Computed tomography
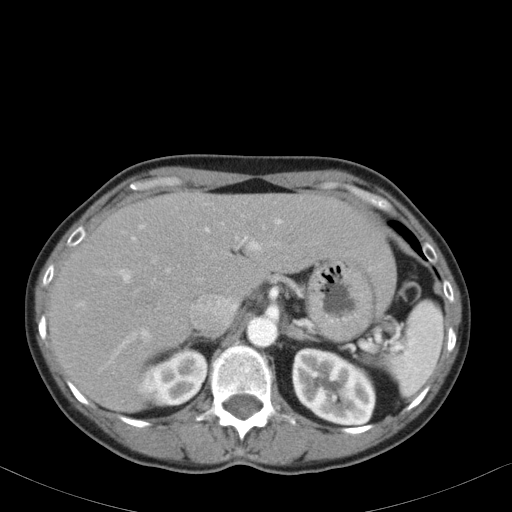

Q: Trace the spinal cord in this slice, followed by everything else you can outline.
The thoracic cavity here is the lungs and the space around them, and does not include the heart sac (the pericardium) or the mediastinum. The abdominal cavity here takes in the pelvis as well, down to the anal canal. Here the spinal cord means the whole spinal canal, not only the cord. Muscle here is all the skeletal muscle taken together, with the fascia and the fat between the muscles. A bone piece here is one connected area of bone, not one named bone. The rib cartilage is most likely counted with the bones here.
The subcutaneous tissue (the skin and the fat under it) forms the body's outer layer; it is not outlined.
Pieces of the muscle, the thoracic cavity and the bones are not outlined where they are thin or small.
A: {"spinal_cord":[[[238,394],[247,394],[248,395],[254,396],[260,402],[261,404],[260,408],[257,411],[254,412],[251,415],[250,415],[245,419],[241,419],[240,418],[238,418],[228,410],[227,410],[225,408],[225,406],[224,405],[224,403],[231,396],[233,395],[237,395]]],"bones":[{"outer":[[234,344],[247,345],[265,356],[274,376],[271,403],[278,412],[293,417],[295,424],[284,419],[277,421],[271,418],[262,427],[253,426],[241,440],[233,426],[220,425],[216,416],[212,420],[195,419],[198,414],[207,410],[213,401],[210,389],[212,363]],"hole":[[238,394],[247,394],[248,395],[254,396],[260,402],[261,404],[260,408],[257,411],[254,412],[251,415],[250,415],[245,419],[241,419],[240,418],[238,418],[228,410],[227,410],[225,408],[225,406],[224,405],[224,403],[231,396],[233,395],[237,395]]},[[324,182],[338,182],[342,184],[350,184],[351,185],[357,186],[373,194],[380,196],[386,199],[393,206],[394,213],[391,214],[381,209],[379,209],[370,203],[364,201],[362,199],[349,193],[342,188],[335,188],[334,189],[322,188],[320,187],[320,184]],[[164,176],[176,176],[180,178],[182,180],[182,184],[180,185],[170,185],[169,186],[164,186],[163,187],[156,187],[144,191],[133,191],[128,188],[129,184],[132,182],[135,182],[136,181],[139,181],[148,178],[163,177]],[[81,225],[82,226],[83,226],[85,228],[85,235],[84,236],[84,237],[78,243],[77,243],[75,245],[74,245],[73,246],[68,246],[66,244],[66,242],[67,241],[67,239],[69,237],[69,236],[70,235],[70,234],[77,227],[78,227]],[[426,241],[427,242],[428,242],[433,247],[433,248],[437,255],[437,260],[435,263],[432,263],[431,262],[430,262],[426,258],[426,257],[424,255],[424,254],[423,253],[423,251],[422,250],[422,247],[421,246],[421,243],[422,243],[423,242],[425,242]],[[427,385],[429,385],[429,389],[428,390],[428,391],[426,393],[426,394],[425,395],[425,396],[423,398],[423,399],[416,406],[415,406],[413,408],[412,408],[410,410],[408,410],[407,411],[405,411],[404,410],[404,408],[405,408],[420,393],[420,392]],[[67,379],[68,380],[69,380],[73,384],[73,385],[74,386],[75,386],[75,387],[88,400],[88,401],[89,402],[89,404],[88,405],[86,405],[85,404],[80,402],[74,396],[74,395],[72,393],[71,390],[69,388],[69,387],[66,382],[66,380]]],"thoracic_cavity":[[[392,219],[396,219],[397,220],[400,221],[403,224],[404,224],[416,236],[416,237],[420,242],[420,246],[421,247],[421,250],[422,251],[422,253],[426,259],[424,259],[424,258],[423,257],[422,257],[412,247],[412,246],[390,224],[390,220],[391,220]]],"abdominal_cavity":[[[251,179],[347,192],[394,218],[389,224],[439,274],[445,348],[427,384],[390,418],[340,427],[296,412],[266,356],[243,343],[213,360],[209,389],[191,405],[145,419],[98,407],[60,367],[46,308],[55,270],[72,247],[112,212],[151,195],[203,192]]],"torso":[[[187,153],[322,155],[355,161],[394,182],[439,231],[468,289],[470,340],[449,394],[417,432],[372,458],[320,472],[282,475],[234,465],[192,474],[125,459],[85,434],[60,410],[38,373],[25,337],[24,295],[31,266],[59,223],[113,175],[146,159]]],"muscle":[{"outer":[[162,166],[183,166],[184,167],[191,167],[206,170],[235,172],[236,173],[243,173],[252,175],[258,175],[259,174],[263,175],[264,174],[278,173],[279,172],[290,172],[291,171],[311,171],[312,170],[337,169],[353,174],[365,181],[385,190],[405,206],[419,221],[437,244],[447,263],[454,280],[456,282],[460,293],[460,299],[461,300],[461,322],[459,325],[458,330],[459,342],[460,343],[458,352],[450,368],[450,370],[444,379],[443,383],[429,404],[415,418],[393,435],[362,451],[351,455],[333,459],[312,460],[307,461],[304,463],[298,463],[297,464],[294,463],[289,465],[272,465],[257,462],[245,458],[232,458],[219,463],[201,464],[193,462],[185,462],[184,463],[179,461],[172,461],[152,457],[134,451],[118,442],[106,433],[92,420],[75,408],[63,394],[52,376],[36,339],[35,335],[36,334],[36,323],[35,322],[35,310],[34,309],[35,302],[34,299],[35,298],[35,286],[39,276],[39,273],[46,260],[62,236],[72,224],[96,200],[128,177],[144,171],[147,171],[150,169]],"holes":[[[251,179],[288,189],[319,188],[324,182],[357,186],[386,199],[394,210],[388,214],[433,247],[437,255],[433,266],[453,290],[454,300],[446,297],[445,307],[447,327],[452,327],[456,341],[451,351],[443,350],[423,399],[410,410],[403,408],[352,434],[296,412],[273,381],[272,405],[293,417],[295,424],[271,418],[262,427],[253,426],[242,440],[233,426],[220,425],[216,416],[195,419],[212,404],[208,387],[191,405],[146,418],[151,424],[144,427],[126,423],[91,402],[80,402],[66,382],[48,335],[44,340],[38,331],[50,290],[49,283],[42,284],[43,276],[50,264],[55,270],[72,247],[66,244],[70,234],[81,225],[85,238],[112,212],[157,193],[203,192]],[[164,176],[176,176],[180,178],[182,180],[182,184],[180,185],[170,185],[169,186],[164,186],[163,187],[156,187],[144,191],[133,191],[128,188],[129,184],[132,182],[135,182],[136,181],[139,181],[148,178],[163,177]]]}]}